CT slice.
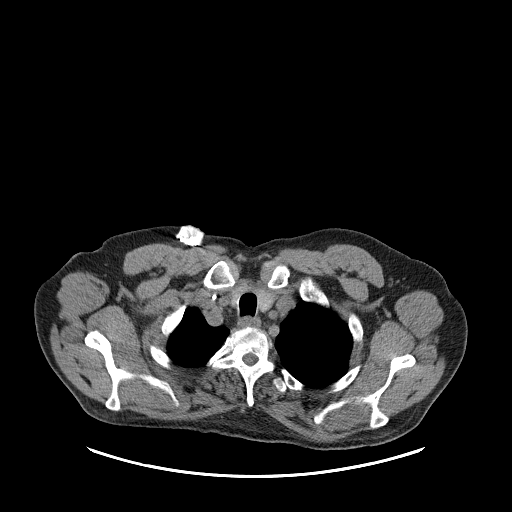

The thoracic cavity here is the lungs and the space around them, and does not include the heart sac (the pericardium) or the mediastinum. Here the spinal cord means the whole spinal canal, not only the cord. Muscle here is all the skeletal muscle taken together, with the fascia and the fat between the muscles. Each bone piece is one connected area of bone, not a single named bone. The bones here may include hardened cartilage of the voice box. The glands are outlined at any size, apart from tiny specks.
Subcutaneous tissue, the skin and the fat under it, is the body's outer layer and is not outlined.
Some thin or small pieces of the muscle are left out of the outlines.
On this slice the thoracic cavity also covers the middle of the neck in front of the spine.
{"thoracic_cavity":[[[216,292],[230,293],[232,309],[242,294],[252,292],[263,314],[274,305],[274,293],[294,293],[331,308],[346,322],[352,339],[349,368],[326,387],[306,387],[278,365],[276,343],[257,326],[231,330],[204,365],[174,363],[166,352],[169,336],[187,307]]],"muscle":[{"outer":[[156,242],[221,244],[248,255],[359,246],[395,285],[436,296],[444,372],[390,420],[380,398],[396,372],[416,363],[409,352],[394,355],[374,391],[330,401],[313,415],[319,425],[346,404],[369,405],[370,429],[332,442],[254,409],[264,374],[277,371],[271,383],[280,393],[328,387],[331,394],[362,367],[349,365],[364,336],[359,316],[350,311],[344,320],[307,275],[299,296],[244,283],[183,302],[160,325],[165,350],[148,345],[169,370],[172,363],[236,369],[248,407],[198,420],[120,411],[118,386],[136,378],[175,407],[180,402],[166,380],[117,366],[97,328],[83,342],[102,355],[110,378],[102,404],[74,386],[52,354],[55,293],[66,274],[110,273],[126,252]],"holes":[[[220,260],[227,260],[228,261],[230,260],[234,262],[237,266],[238,268],[238,277],[235,280],[235,283],[232,286],[230,286],[229,287],[224,287],[219,289],[211,289],[210,288],[207,288],[205,287],[202,283],[202,280],[205,274],[214,263]],[[266,260],[273,260],[275,264],[285,264],[289,268],[290,270],[290,276],[289,277],[289,281],[288,282],[288,285],[287,286],[283,288],[278,288],[277,289],[273,289],[272,288],[270,288],[268,287],[268,286],[266,284],[265,281],[262,277],[262,263]]]}],"bones":[{"outer":[[245,327],[257,327],[266,330],[275,343],[277,365],[283,367],[301,382],[305,386],[302,390],[288,388],[284,392],[278,391],[272,383],[272,379],[278,371],[267,372],[255,381],[253,405],[248,406],[245,382],[236,368],[217,370],[205,365],[231,331]],"hole":[[249,353],[250,353],[251,354],[253,354],[255,356],[256,356],[256,357],[257,358],[257,360],[253,364],[252,364],[251,365],[249,365],[248,364],[247,364],[243,360],[243,356],[244,355],[245,355],[246,354],[248,354]]},[[94,329],[97,329],[109,340],[117,367],[134,373],[151,374],[166,381],[170,385],[179,405],[175,406],[171,397],[162,389],[136,377],[121,380],[117,386],[120,410],[108,409],[104,403],[111,392],[112,382],[103,355],[84,342],[85,335]],[[406,353],[413,355],[415,363],[410,367],[396,371],[379,398],[378,407],[389,417],[385,425],[371,429],[369,427],[370,405],[353,402],[328,412],[321,423],[314,422],[314,415],[330,402],[357,395],[364,396],[374,392],[385,383],[391,359]],[[220,260],[227,260],[228,261],[230,260],[234,262],[237,266],[238,268],[238,277],[235,280],[235,283],[232,286],[230,286],[229,287],[224,287],[219,289],[211,289],[210,288],[207,288],[205,287],[202,283],[202,280],[205,274],[214,263]],[[266,260],[273,260],[275,264],[285,264],[289,268],[290,270],[290,276],[289,277],[289,281],[288,282],[288,285],[287,286],[283,288],[278,288],[277,289],[273,289],[272,288],[270,288],[268,287],[268,286],[266,284],[265,281],[262,277],[262,263]],[[307,276],[311,277],[318,284],[320,288],[325,293],[325,294],[327,296],[329,300],[330,307],[325,307],[324,306],[322,306],[314,302],[309,302],[308,301],[305,301],[300,297],[299,293],[298,292],[298,288],[299,287],[299,284],[300,283],[301,279]],[[183,303],[186,303],[186,308],[183,313],[183,315],[181,318],[181,320],[177,325],[177,326],[173,330],[173,331],[168,336],[168,337],[166,338],[162,333],[162,331],[161,330],[161,325],[164,320],[164,318],[169,313],[175,310],[180,305],[181,305]],[[358,364],[360,364],[361,365],[361,367],[357,375],[354,378],[354,379],[345,388],[339,391],[337,391],[336,392],[332,392],[331,393],[328,392],[328,390],[329,389],[329,386],[331,384],[335,382],[343,375],[344,375],[350,368],[352,368]],[[350,312],[353,312],[355,313],[358,316],[362,324],[362,327],[363,328],[363,336],[362,337],[362,340],[361,342],[358,343],[353,348],[353,339],[352,338],[351,333],[349,330],[349,328],[347,324],[347,319],[348,318],[348,316]],[[150,344],[153,344],[157,346],[162,350],[164,350],[165,351],[165,352],[168,355],[168,356],[170,358],[172,362],[170,364],[171,365],[171,367],[169,369],[168,368],[163,367],[160,364],[156,362],[152,358],[150,354],[150,352],[149,351],[149,345]]],"thyroid_glands":[[[244,284],[263,288],[268,292],[271,293],[274,300],[273,305],[263,313],[258,307],[258,300],[256,295],[252,291],[247,291],[244,293],[242,293],[239,296],[237,300],[236,307],[235,308],[232,308],[230,306],[231,293],[232,293],[238,287]]],"spinal_cord":[[[249,353],[250,353],[251,354],[253,354],[255,356],[256,356],[256,357],[257,358],[257,360],[253,364],[252,364],[251,365],[249,365],[248,364],[247,364],[243,360],[243,356],[244,355],[245,355],[246,354],[248,354]]],"torso":[[[159,225],[191,225],[250,246],[330,227],[371,235],[431,265],[443,276],[467,321],[467,343],[460,365],[415,428],[373,446],[317,450],[213,432],[118,426],[97,420],[83,410],[41,350],[34,322],[35,295],[40,285],[75,253],[94,250],[110,236]]]}